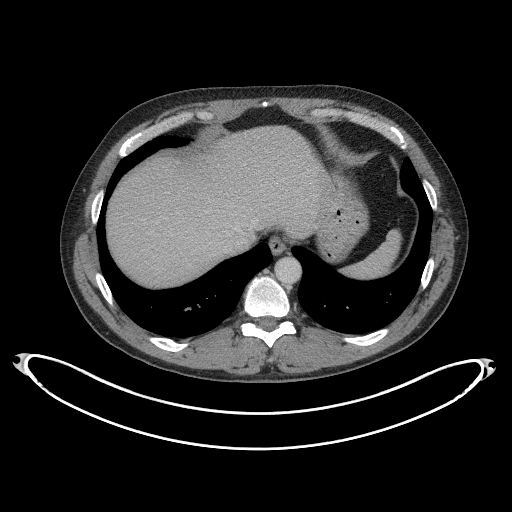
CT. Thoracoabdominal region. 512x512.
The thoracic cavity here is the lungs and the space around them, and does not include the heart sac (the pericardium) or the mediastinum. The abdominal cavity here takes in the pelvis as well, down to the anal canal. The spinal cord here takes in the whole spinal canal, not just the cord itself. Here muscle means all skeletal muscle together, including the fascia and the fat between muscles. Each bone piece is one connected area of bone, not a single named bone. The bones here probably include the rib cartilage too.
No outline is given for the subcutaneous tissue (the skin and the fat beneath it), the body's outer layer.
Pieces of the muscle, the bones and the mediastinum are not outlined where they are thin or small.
The spinal cord is outlined by (268, 331) (275, 328) (277, 326) (277, 324) (278, 323) (278, 320) (275, 317) (273, 317) (272, 316) (264, 316) (263, 317) (260, 317) (259, 318) (258, 318) (257, 319) (257, 321) (256, 322) (257, 323) (258, 326) (259, 326) (261, 328) (262, 328) (265, 330) (267, 330). The bones appear in 9 outlined pieces: piece 1: (269, 347) (271, 347) (274, 341) (281, 335) (295, 333) (296, 328) (293, 322) (287, 318) (287, 315) (290, 311) (290, 300) (285, 290) (277, 281) (269, 276) (256, 276) (247, 284) (243, 293) (242, 309) (249, 319) (240, 325) (240, 329) (243, 335) (256, 336) (263, 340), around a hole outlined by (268, 331) (275, 328) (277, 326) (277, 324) (278, 323) (278, 320) (275, 317) (273, 317) (272, 316) (264, 316) (263, 317) (260, 317) (259, 318) (258, 318) (257, 319) (257, 321) (256, 322) (257, 323) (258, 326) (259, 326) (261, 328) (262, 328) (265, 330) (267, 330); piece 2: (120, 157) (126, 156) (148, 140) (166, 131) (181, 126) (195, 117) (201, 120) (210, 120) (212, 119) (213, 114) (205, 110) (197, 110) (195, 112) (183, 111) (175, 115) (166, 117) (159, 122) (154, 123) (127, 138) (122, 143) (118, 150) (118, 154); piece 3: (402, 150) (404, 150) (407, 147) (407, 142) (401, 132) (396, 127) (381, 121) (375, 117) (360, 112) (350, 110) (343, 110) (339, 108) (315, 108) (312, 109) (309, 112) (310, 116) (314, 118) (317, 117) (333, 117) (334, 118) (343, 117) (350, 122) (369, 127) (381, 133); piece 4: (356, 345) (369, 345) (372, 343) (376, 342) (387, 334) (387, 333) (389, 331) (389, 328) (388, 327) (384, 327) (376, 331) (374, 331) (373, 332) (371, 332) (364, 335) (344, 336) (342, 338) (342, 339) (344, 341) (348, 343) (351, 343) (352, 344) (355, 344); piece 5: (169, 351) (179, 351) (183, 349) (188, 345) (188, 343) (187, 342) (185, 341) (183, 341) (182, 342) (179, 342) (171, 338) (167, 338) (166, 337) (163, 337) (162, 336) (148, 336) (147, 337) (149, 341) (150, 341) (158, 347) (162, 349) (165, 349) (166, 350) (168, 350); piece 6: (110, 306) (113, 306) (115, 301) (114, 300) (114, 299) (112, 296) (112, 294) (108, 287) (108, 285) (106, 283) (106, 282) (104, 279) (104, 277) (100, 272) (97, 271) (95, 273) (95, 279) (96, 280) (97, 285) (98, 286) (102, 295) (107, 301) (107, 302); piece 7: (94, 225) (96, 225) (97, 223) (97, 220) (98, 219) (98, 216) (99, 215) (99, 212) (101, 207) (101, 203) (102, 202) (103, 196) (104, 195) (104, 189) (102, 188) (101, 188) (95, 195) (92, 202) (92, 205) (91, 206) (91, 220) (92, 221) (92, 223); piece 8: (420, 290) (423, 290) (427, 286) (430, 280) (430, 278) (431, 277) (431, 275) (433, 271) (433, 267) (434, 266) (434, 259) (432, 256) (429, 256) (426, 262) (425, 267) (423, 270) (423, 272) (421, 276) (421, 280) (420, 281) (420, 284) (418, 288); piece 9: (433, 211) (435, 211) (436, 210) (437, 210) (437, 199) (436, 198) (435, 191) (434, 190) (432, 185) (426, 179) (423, 178) (421, 180) (421, 181) (422, 182) (422, 185) (425, 190) (425, 192) (427, 195) (427, 197) (428, 198) (428, 200) (430, 203) (431, 208). The thoracic cavity appears in 2 outlined pieces: piece 1: (184, 338) (207, 332) (233, 313) (246, 284) (271, 261) (271, 255) (263, 241) (196, 280) (165, 290) (142, 288) (121, 273) (105, 242) (107, 200) (119, 178) (136, 163) (162, 147) (189, 141) (160, 135) (116, 166) (96, 226) (98, 251) (102, 273) (123, 311) (149, 331); piece 2: (350, 334) (376, 330) (397, 317) (413, 297) (428, 257) (432, 211) (420, 179) (407, 156) (400, 168) (400, 179) (403, 189) (415, 200) (420, 216) (411, 250) (393, 273) (372, 281) (348, 279) (309, 250) (292, 247) (292, 252) (303, 269) (298, 302) (318, 324) (336, 332). The mediastinum appears in 3 outlined pieces: piece 1: (290, 299) (296, 299) (297, 289) (302, 274) (301, 265) (291, 252) (291, 247) (293, 245) (288, 243) (279, 235) (271, 235) (266, 241) (270, 248) (270, 251) (272, 255) (272, 261) (265, 268) (256, 274) (256, 275) (257, 276) (260, 275) (269, 275) (273, 277) (286, 290); piece 2: (400, 167) (403, 157) (405, 155) (403, 154) (401, 150) (386, 139) (381, 134) (369, 128) (353, 124) (347, 121) (323, 122) (326, 125) (328, 125) (330, 129) (339, 139) (354, 152) (356, 153) (365, 153) (366, 152) (371, 152) (377, 149) (387, 149) (396, 156); piece 3: (190, 139) (198, 130) (204, 126) (208, 124) (212, 124) (213, 123) (220, 122) (211, 122) (210, 123) (192, 123) (191, 124) (186, 124) (181, 127) (176, 128) (173, 130) (171, 130) (168, 132) (164, 133) (163, 134) (166, 134) (167, 135) (180, 135) (181, 136) (187, 136). The muscle is outlined by (239, 375) (254, 374) (259, 372) (266, 366) (268, 366) (271, 369) (275, 366) (282, 371) (283, 373) (286, 374) (303, 373) (304, 372) (309, 372) (317, 370) (323, 367) (329, 367) (330, 366) (350, 363) (356, 360) (370, 356) (397, 342) (410, 333) (418, 325) (420, 321) (439, 298) (446, 287) (451, 277) (452, 266) (454, 262) (455, 233) (454, 232) (454, 226) (447, 210) (445, 194) (441, 183) (417, 143) (402, 127) (393, 120) (380, 114) (378, 112) (370, 110) (355, 103) (347, 101) (340, 101) (335, 99) (329, 99) (328, 98) (260, 97) (259, 98) (244, 98) (243, 99) (220, 99) (219, 100) (212, 100) (205, 102) (194, 102) (173, 107) (162, 112) (157, 116) (153, 116) (147, 118) (125, 133) (111, 147) (100, 163) (97, 169) (96, 174) (92, 181) (90, 187) (90, 192) (87, 196) (84, 204) (83, 215) (82, 216) (83, 230) (75, 241) (74, 250) (73, 251) (73, 265) (72, 266) (73, 273) (76, 283) (85, 300) (101, 317) (104, 322) (116, 334) (130, 345) (149, 355) (182, 366) (186, 366) (191, 368) (198, 368) (199, 369) (223, 370) (229, 373) (234, 373); inner edge: (169, 351) (188, 345) (172, 337) (207, 332) (233, 313) (242, 297) (242, 309) (249, 317) (240, 325) (242, 334) (256, 336) (269, 347) (281, 335) (296, 332) (287, 318) (291, 299) (296, 299) (318, 324) (354, 334) (342, 338) (348, 343) (369, 345) (386, 335) (386, 326) (416, 290) (427, 286) (434, 266) (428, 250) (437, 199) (432, 185) (418, 177) (401, 151) (407, 147) (401, 132) (375, 117) (339, 108) (315, 108) (309, 114) (314, 118) (343, 117) (345, 121) (306, 122) (263, 101) (259, 108) (226, 122) (188, 124) (195, 117) (210, 120) (213, 114) (183, 111) (127, 138) (118, 150) (122, 158) (106, 189) (97, 192) (91, 206) (102, 270) (95, 273) (95, 279) (110, 306) (116, 302) (137, 324) (162, 334) (147, 338). The torso is outlined by (245, 383) (309, 380) (371, 364) (417, 341) (449, 305) (466, 261) (469, 237) (466, 210) (446, 162) (418, 122) (395, 102) (360, 88) (324, 83) (177, 90) (145, 100) (123, 113) (75, 180) (62, 216) (59, 252) (67, 287) (91, 328) (114, 347) (154, 367) (195, 378). The abdominal cavity is outlined by (148, 289) (188, 283) (271, 234) (309, 249) (348, 278) (381, 278) (407, 256) (417, 227) (417, 206) (402, 189) (396, 158) (387, 150) (356, 154) (321, 122) (302, 121) (277, 106) (249, 109) (204, 127) (182, 146) (158, 150) (116, 184) (105, 214) (108, 250) (126, 277).